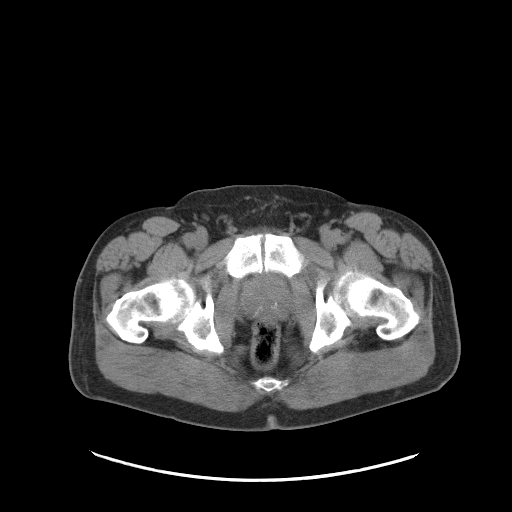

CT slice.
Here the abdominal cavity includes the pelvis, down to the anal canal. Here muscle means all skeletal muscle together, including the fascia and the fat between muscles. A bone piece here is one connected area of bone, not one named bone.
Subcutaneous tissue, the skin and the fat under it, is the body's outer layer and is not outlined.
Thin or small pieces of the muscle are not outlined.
Outlined structures:
abdominal cavity: (263, 272) (274, 272) (282, 274) (289, 279) (291, 285) (293, 320) (301, 337) (301, 342) (303, 346) (303, 359) (299, 371) (290, 376) (277, 377) (272, 375) (267, 377) (260, 377) (238, 369) (231, 364) (228, 358) (237, 319) (237, 295) (240, 280) (249, 274) (260, 274)
torso: (285, 183) (318, 187) (354, 202) (389, 207) (426, 230) (440, 251) (453, 288) (461, 342) (460, 359) (453, 376) (437, 391) (331, 423) (291, 430) (231, 431) (202, 427) (82, 395) (73, 385) (68, 369) (72, 297) (80, 269) (100, 233) (126, 213) (171, 205) (197, 189)
bones 1: (172, 276) (182, 278) (189, 283) (203, 304) (206, 292) (200, 281) (208, 278) (214, 305) (214, 327) (224, 348) (221, 354) (207, 350) (196, 351) (184, 333) (168, 321) (147, 322) (145, 326) (148, 336) (141, 343) (121, 339) (107, 323) (106, 316) (113, 303) (124, 293)
bones 2: (347, 270) (362, 271) (388, 286) (399, 288) (411, 301) (419, 322) (403, 336) (384, 340) (376, 333) (379, 322) (376, 317) (352, 316) (353, 325) (347, 326) (338, 340) (314, 353) (309, 343) (316, 322) (316, 284) (321, 278) (328, 277) (323, 291) (326, 297) (334, 282)
bones 3: (258, 233) (272, 233) (277, 235) (289, 236) (292, 239) (293, 243) (297, 249) (304, 256) (304, 263) (301, 270) (290, 278) (288, 278) (282, 273) (274, 271) (249, 273) (240, 279) (231, 276) (226, 271) (225, 265) (222, 261) (232, 247) (235, 239) (239, 236) (247, 236)
bones 4: (268, 377) (273, 377) (279, 380) (282, 380) (283, 379) (288, 378) (290, 380) (287, 385) (284, 386) (281, 389) (279, 390) (277, 389) (274, 389) (270, 391) (266, 391) (263, 389) (257, 389) (252, 384) (251, 384) (251, 381) (256, 380) (258, 378) (267, 378)
muscle: (360, 211) (371, 211) (394, 219) (421, 241) (431, 254) (434, 271) (432, 282) (432, 325) (435, 357) (425, 376) (402, 386) (363, 394) (317, 408) (296, 410) (274, 397) (268, 397) (245, 410) (229, 412) (215, 410) (162, 394) (130, 391) (104, 378) (98, 369) (95, 361) (93, 320) (95, 264) (102, 249) (119, 231) (142, 219) (152, 216) (166, 216) (177, 221) (207, 247) (217, 240) (242, 231) (277, 231) (307, 238) (327, 221) (346, 218) (352, 212); inner edges: (258, 233) (287, 235) (304, 256) (301, 270) (289, 279) (293, 320) (303, 346) (302, 364) (293, 375) (274, 376) (279, 380) (290, 380) (281, 389) (270, 391) (257, 389) (251, 381) (260, 377) (238, 369) (228, 358) (237, 319) (240, 280) (226, 271) (222, 261) (237, 237), then (172, 276) (182, 278) (189, 283) (203, 304) (206, 292) (200, 281) (208, 278) (214, 305) (214, 327) (224, 348) (221, 354) (207, 350) (196, 351) (184, 333) (168, 321) (147, 322) (145, 326) (148, 336) (141, 343) (121, 339) (107, 323) (106, 316) (113, 303) (124, 293), then (347, 270) (362, 271) (388, 286) (399, 288) (411, 301) (419, 322) (403, 336) (384, 340) (376, 333) (379, 322) (376, 317) (352, 316) (353, 325) (347, 326) (338, 340) (314, 353) (309, 343) (316, 322) (316, 284) (321, 278) (328, 277) (323, 291) (326, 297) (334, 282)